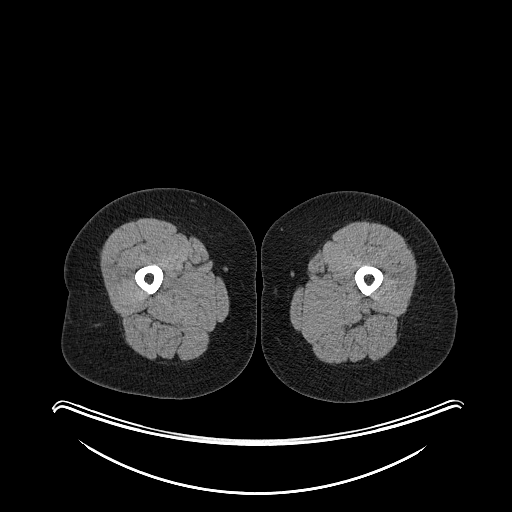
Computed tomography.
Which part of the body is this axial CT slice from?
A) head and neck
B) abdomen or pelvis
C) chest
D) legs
D) legs
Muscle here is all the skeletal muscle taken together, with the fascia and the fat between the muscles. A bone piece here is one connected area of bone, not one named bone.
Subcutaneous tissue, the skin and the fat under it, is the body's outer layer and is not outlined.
Outlined structures:
bones 1: 364,264 368,264 369,265 371,265 372,266 374,266 378,268 382,272 383,274 383,279 380,285 370,295 368,296 367,295 363,294 361,292 361,291 358,288 355,282 355,279 354,278 354,275 357,269 360,266
bones 2: 153,263 154,264 158,265 161,268 163,272 163,279 161,282 160,286 157,289 157,290 152,294 148,294 136,283 135,279 134,278 134,275 135,274 135,272 139,268 143,266 148,265 149,264 152,264
right leg: 154,187 183,188 215,199 241,218 251,232 256,248 257,325 252,355 241,373 228,384 210,393 186,399 163,399 136,395 94,384 69,367 60,346 68,295 63,278 63,266 71,242 89,218 110,201 133,191
left leg: 339,190 364,191 389,198 409,209 427,226 452,271 458,310 453,345 447,357 435,370 400,391 353,403 315,399 288,387 276,377 268,366 262,352 260,337 263,286 261,244 266,231 277,218 299,203 322,193
muscle 1: 140,217 155,217 163,219 178,226 186,227 201,237 219,267 230,297 231,308 221,333 215,343 204,355 187,364 160,364 147,360 136,354 124,341 118,316 109,302 100,271 100,250 107,237 116,227 127,221 with a hole at 153,263 154,264 158,265 161,268 163,272 163,279 161,282 160,286 157,289 157,290 152,294 148,294 136,283 135,279 134,278 134,275 135,274 135,272 139,268 143,266 148,265 149,264 152,264
muscle 2: 361,219 375,220 385,224 405,238 415,252 417,261 416,282 408,310 403,317 402,336 394,350 374,363 365,366 340,369 320,361 309,353 293,328 286,314 286,310 289,293 298,273 320,244 338,228 348,222 with a hole at 364,264 368,264 369,265 371,265 372,266 374,266 378,268 382,272 383,274 383,279 380,285 370,295 368,296 367,295 363,294 361,292 361,291 358,288 355,282 355,279 354,278 354,275 357,269 360,266